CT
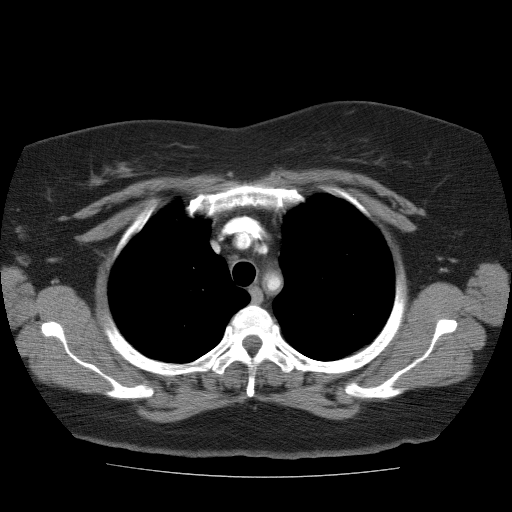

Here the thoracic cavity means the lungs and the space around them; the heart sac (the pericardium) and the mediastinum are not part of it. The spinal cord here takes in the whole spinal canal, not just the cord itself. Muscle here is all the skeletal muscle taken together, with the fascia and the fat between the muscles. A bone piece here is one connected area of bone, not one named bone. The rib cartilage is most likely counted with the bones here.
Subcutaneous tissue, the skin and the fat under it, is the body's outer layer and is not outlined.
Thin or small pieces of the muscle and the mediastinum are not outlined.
Outlines:
bones 1: [[400,273],[402,319],[378,355],[342,373],[284,372],[265,359],[252,397],[246,394],[248,368],[240,361],[222,374],[162,375],[126,360],[104,331],[108,311],[143,355],[187,363],[212,349],[231,318],[253,304],[268,311],[297,351],[332,361],[378,335]]; inner edge: [[252,335],[258,337],[259,338],[259,339],[261,342],[261,344],[260,345],[259,348],[256,351],[256,352],[255,352],[253,354],[251,354],[244,347],[244,346],[243,345],[243,340],[247,336],[251,336]]
bones 2: [[245,182],[260,183],[276,188],[295,188],[305,197],[305,201],[287,209],[285,212],[280,209],[275,210],[246,205],[236,206],[229,210],[217,212],[213,217],[205,217],[197,214],[193,217],[189,217],[186,213],[186,205],[191,199],[199,194],[215,193]]
bones 3: [[442,318],[454,319],[457,322],[455,330],[440,335],[427,357],[397,378],[393,386],[396,388],[403,388],[404,390],[401,394],[388,398],[361,398],[345,392],[345,386],[351,382],[362,387],[377,386],[395,372],[421,356],[430,344],[437,321]]
bones 4: [[47,321],[55,321],[62,326],[69,349],[81,360],[93,364],[124,386],[132,387],[138,384],[149,386],[153,389],[153,394],[145,398],[115,398],[106,395],[105,392],[112,388],[109,381],[76,362],[66,352],[57,337],[45,336],[42,333],[41,324]]
bones 5: [[154,197],[159,198],[159,200],[156,204],[156,210],[155,212],[148,219],[143,227],[137,233],[131,237],[128,242],[121,250],[112,264],[112,256],[113,255],[113,252],[122,234],[125,231],[127,227],[133,221],[137,214],[143,209],[147,202],[151,198]]
bones 6: [[320,184],[330,184],[331,185],[336,185],[339,187],[343,188],[366,208],[366,209],[370,214],[370,219],[365,215],[364,215],[354,205],[353,205],[348,201],[342,198],[340,198],[334,195],[332,195],[329,193],[324,192],[318,186],[318,185]]
muscle: [[278,166],[350,169],[423,208],[425,216],[416,214],[412,218],[416,230],[395,232],[412,296],[422,286],[436,281],[463,288],[482,262],[496,261],[506,270],[510,279],[502,323],[475,360],[473,374],[456,383],[404,393],[403,387],[394,386],[402,374],[428,357],[440,336],[456,330],[458,322],[446,317],[436,321],[423,353],[379,384],[348,382],[343,390],[352,397],[392,398],[371,403],[357,417],[341,420],[250,398],[242,404],[158,423],[130,413],[126,402],[52,387],[29,373],[10,327],[0,269],[3,265],[18,266],[37,290],[55,283],[68,285],[91,305],[96,271],[106,244],[80,243],[74,238],[93,226],[92,219],[58,218],[144,178],[229,171],[248,178]] with holes at [[245,182],[305,197],[321,193],[320,184],[336,185],[369,212],[394,275],[403,274],[406,301],[392,339],[363,366],[284,372],[265,359],[248,397],[249,372],[240,361],[222,374],[162,375],[112,346],[104,331],[112,256],[137,214],[154,197],[157,212]] and at [[47,321],[55,321],[62,326],[69,349],[81,360],[93,364],[124,386],[132,387],[138,384],[149,386],[153,389],[153,394],[145,398],[115,398],[106,395],[105,392],[112,388],[109,381],[76,362],[66,352],[57,337],[45,336],[42,333],[41,324]]
spinal cord: [[252,335],[258,337],[259,338],[259,339],[261,342],[261,344],[260,345],[259,348],[256,351],[256,352],[255,352],[253,354],[251,354],[244,347],[244,346],[243,345],[243,340],[247,336],[251,336]]
thoracic cavity 1: [[322,192],[348,202],[377,227],[391,255],[395,276],[392,306],[380,331],[367,345],[349,355],[332,360],[315,359],[293,347],[282,335],[281,328],[274,318],[272,306],[274,299],[283,289],[285,283],[279,262],[283,218],[290,209],[304,203],[306,197]]
thoracic cavity 2: [[176,199],[185,205],[184,210],[189,218],[197,215],[211,221],[208,240],[211,249],[224,259],[232,283],[249,296],[249,302],[230,318],[220,340],[212,348],[191,361],[181,363],[155,359],[135,348],[116,325],[108,300],[110,270],[122,250],[156,212]]
mediastinum: [[246,206],[275,211],[280,210],[285,213],[281,224],[281,247],[278,258],[284,283],[282,289],[272,301],[273,316],[267,309],[260,305],[249,303],[249,294],[233,283],[225,259],[212,249],[209,241],[212,221],[208,218],[213,218],[217,213]]
torso: [[340,99],[403,106],[465,126],[481,135],[493,160],[508,215],[511,272],[500,331],[463,405],[435,438],[363,455],[185,457],[133,451],[75,437],[32,380],[14,339],[4,301],[0,273],[3,216],[11,180],[26,144],[79,128],[137,118],[242,126]]